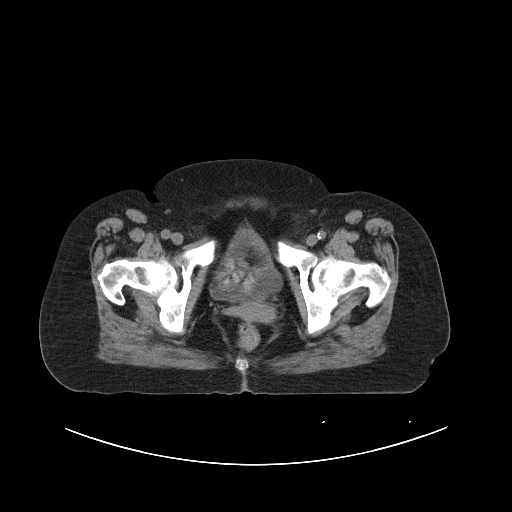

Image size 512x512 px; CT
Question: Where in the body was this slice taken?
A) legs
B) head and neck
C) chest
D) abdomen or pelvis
Answer: D) abdomen or pelvis
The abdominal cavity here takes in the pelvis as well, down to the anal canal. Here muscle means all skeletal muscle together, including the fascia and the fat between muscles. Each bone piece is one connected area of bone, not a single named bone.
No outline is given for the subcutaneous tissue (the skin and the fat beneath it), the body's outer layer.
abdominal cavity: 239,209 264,212 279,223 282,232 275,241 275,258 284,268 298,312 297,315 289,312 280,315 273,332 255,354 236,351 218,318 213,313 194,314 206,282 208,266 215,258 217,240 209,232 209,226 226,211
muscle: 244,195 256,195 270,200 278,207 285,218 294,236 303,244 313,248 317,248 323,244 328,239 328,237 331,234 338,221 348,211 355,207 366,207 377,211 381,213 393,224 393,226 398,235 399,240 399,277 398,278 398,284 394,295 394,302 393,303 391,319 384,334 384,340 387,346 385,352 372,362 351,367 327,369 310,373 297,373 296,374 276,374 268,371 261,371 260,372 254,372 253,374 250,373 244,377 237,373 234,368 231,366 221,368 203,369 202,370 176,369 175,368 166,368 165,367 148,367 147,366 136,366 126,364 115,364 114,363 108,363 97,358 95,356 95,352 97,350 97,343 99,337 99,324 97,316 97,306 95,299 95,292 90,275 90,260 89,259 91,234 97,221 107,212 122,207 133,207 140,210 147,216 149,222 152,225 152,227 168,245 181,246 197,239 200,236 216,208 221,205 224,201 with holes at 239,209 271,216 280,225 279,240 320,260 331,255 355,263 376,262 391,280 385,296 368,307 368,288 352,289 338,298 329,323 308,334 299,272 284,266 298,314 280,315 255,354 236,351 213,313 194,314 207,265 192,271 183,333 161,325 156,297 143,290 125,285 125,303 113,303 97,279 104,264 162,257 179,275 174,257 212,239 210,224 and at 201,319 206,319 210,321 213,324 213,325 219,333 220,339 222,342 222,344 219,347 217,347 216,348 208,348 206,349 205,348 200,348 199,347 197,347 193,344 193,336 196,330 197,325 201,320 and at 289,327 290,328 292,328 295,330 297,337 302,343 302,344 301,345 301,347 297,350 295,350 294,351 292,351 291,352 288,352 285,354 276,354 275,353 274,353 271,349 273,342 276,339 277,339 and at 237,357 240,357 241,358 244,358 247,360 247,362 248,363 248,367 247,368 247,369 246,369 245,370 245,371 244,372 244,373 241,373 237,369 236,369 236,368 235,367 235,360
torso: 227,158 302,167 321,177 333,192 378,194 404,207 421,224 439,264 450,336 420,387 385,394 103,394 70,390 51,375 40,351 39,311 59,244 73,218 93,201 125,188 140,188 152,201 154,184 169,171
bones 1: 213,238 216,240 213,260 205,266 196,265 192,271 183,333 169,331 161,325 155,296 125,285 122,289 125,303 118,305 102,292 97,275 106,263 122,258 156,261 162,257 179,275 181,268 175,264 174,257
bones 2: 277,240 313,252 320,260 331,255 355,263 376,262 387,271 391,280 389,288 382,300 372,307 365,304 369,294 367,287 360,286 348,291 338,298 329,323 308,334 307,309 299,272 295,266 286,267 277,260
bones 3: 237,357 240,357 241,358 244,358 247,360 247,362 248,363 248,367 247,368 247,369 246,369 245,370 245,371 244,372 244,373 241,373 237,369 236,369 236,368 235,367 235,360